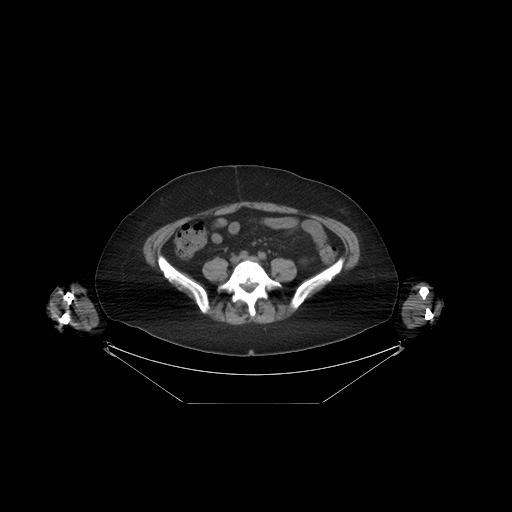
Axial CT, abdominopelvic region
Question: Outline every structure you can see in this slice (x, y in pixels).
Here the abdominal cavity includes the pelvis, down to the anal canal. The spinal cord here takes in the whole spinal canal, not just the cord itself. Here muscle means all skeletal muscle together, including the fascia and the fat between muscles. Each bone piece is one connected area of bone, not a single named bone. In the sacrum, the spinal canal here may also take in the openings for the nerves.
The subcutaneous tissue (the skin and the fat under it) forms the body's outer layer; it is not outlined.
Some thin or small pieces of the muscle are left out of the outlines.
Answer: The left arm is outlined by 418 274; 428 275; 435 281; 440 292; 443 296; 444 303; 446 306; 446 310; 444 315; 431 329; 425 331; 413 338; 408 338; 406 340; 404 340; 402 336; 397 332; 394 326; 394 321; 398 313; 397 302; 401 295; 401 284; 409 277. The abdominal cavity is outlined by 242 207; 319 222; 341 240; 343 253; 294 287; 286 285; 298 272; 290 258; 273 257; 270 275; 261 263; 249 258; 237 262; 228 274; 229 262; 216 255; 201 266; 202 275; 215 285; 209 288; 175 267; 162 248; 184 223; 233 213. The muscle appears in 5 outlined pieces: piece 1: 216 256; 224 258; 228 262; 226 273; 229 275; 216 289; 219 292; 225 291; 231 294; 230 299; 233 303; 237 301; 244 302; 247 306; 247 312; 251 317; 256 314; 255 304; 257 300; 267 299; 269 297; 269 291; 282 286; 279 281; 270 276; 272 274; 270 261; 276 257; 292 260; 296 266; 297 272; 295 277; 285 285; 293 288; 296 287; 289 301; 290 307; 296 310; 301 306; 291 316; 283 320; 265 324; 250 322; 233 325; 210 319; 200 313; 192 300; 170 283; 174 282; 187 289; 192 294; 199 310; 203 314; 206 314; 210 309; 207 290; 197 281; 182 272; 211 289; 216 285; 203 275; 202 266; 206 261; piece 2: 239 201; 263 201; 286 205; 308 213; 330 217; 342 222; 355 233; 358 239; 360 248; 360 257; 358 263; 353 268; 333 279; 341 272; 345 260; 342 256; 345 250; 344 244; 334 232; 321 222; 299 214; 266 211; 242 206; 233 212; 225 214; 197 217; 188 220; 177 227; 162 246; 162 254; 159 254; 156 259; 162 275; 146 262; 143 254; 143 245; 146 239; 152 233; 160 227; 190 214; piece 3: 70 284; 77 284; 83 287; 86 290; 86 295; 96 309; 99 322; 97 326; 90 330; 76 329; 70 325; 59 325; 59 323; 61 325; 69 323; 71 317; 67 311; 63 312; 57 320; 51 315; 50 303; 52 299; 60 289; 66 288, around a hole outlined by 66 292; 70 292; 72 294; 73 294; 73 295; 74 296; 74 297; 72 299; 72 300; 71 301; 71 302; 70 303; 70 304; 68 304; 67 303; 67 302; 63 298; 63 296; 65 294; 65 293; piece 4: 420 282; 425 282; 427 284; 430 285; 436 292; 442 304; 440 308; 439 314; 434 318; 432 321; 433 322; 432 324; 429 325; 422 325; 413 328; 408 328; 403 322; 402 319; 402 305; 404 301; 410 294; 410 291; 412 289; 412 287; inner edges: 421 286; 426 286; 427 287; 427 288; 429 290; 429 292; 427 294; 427 295; 426 296; 426 297; 425 298; 425 299; 423 299; 421 297; 421 296; 420 295; 420 294; 419 293; 419 289; 420 288; 420 287, then 426 308; 429 308; 431 310; 431 311; 432 312; 432 313; 433 314; 433 317; 431 319; 429 319; 428 320; 426 320; 425 319; 425 310; 426 309; piece 5: 326 283; 328 283; 325 286; 324 286; 320 290; 319 290; 317 292; 316 292; 312 296; 311 296; 309 298; 308 298; 304 302; 304 301; 306 299; 306 298; 316 288; 317 288; 319 286; 321 286; 322 285; 324 285. The torso is outlined by 225 164; 258 164; 286 169; 336 187; 351 197; 375 224; 397 271; 400 295; 390 317; 381 324; 339 342; 297 352; 246 357; 206 353; 178 346; 107 317; 97 301; 92 284; 94 283; 100 254; 121 219; 155 189; 172 178; 190 171. The spinal cord is outlined by 251 283; 254 283; 255 284; 256 284; 256 285; 254 287; 254 288; 251 291; 247 291; 246 290; 245 290; 242 287; 242 286; 241 285; 242 285; 243 284; 250 284. The right arm is outlined by 72 275; 80 276; 88 280; 93 288; 96 301; 102 313; 105 316; 105 320; 106 321; 105 329; 101 334; 95 337; 88 336; 85 338; 75 338; 67 336; 64 334; 60 334; 53 328; 52 324; 45 313; 44 304; 52 290; 62 280. The bones appear in 7 outlined pieces: piece 1: 245 259; 253 260; 261 264; 266 273; 281 284; 280 287; 269 290; 267 292; 267 298; 258 298; 256 300; 254 304; 255 314; 253 316; 249 314; 248 306; 244 301; 237 300; 233 302; 231 293; 217 289; 219 285; 229 278; 234 266 with a hole at 251 283; 254 283; 255 284; 256 284; 256 285; 254 287; 254 288; 251 291; 247 291; 246 290; 245 290; 242 287; 242 286; 241 285; 242 285; 243 284; 250 284; piece 2: 159 255; 164 256; 164 257; 175 268; 187 277; 197 282; 206 290; 208 296; 208 302; 209 303; 209 309; 206 313; 203 313; 200 310; 195 301; 193 294; 187 288; 176 283; 174 281; 169 282; 163 275; 163 272; 160 269; 157 261; piece 3: 340 257; 342 257; 344 260; 340 272; 336 274; 330 281; 316 287; 305 298; 303 302; 296 309; 294 309; 291 307; 290 305; 290 301; 293 295; 293 293; 295 291; 297 286; 304 280; 317 274; 322 270; 333 264; piece 4: 65 312; 67 312; 68 313; 68 314; 69 315; 69 316; 70 317; 70 319; 69 320; 69 321; 68 322; 68 323; 67 324; 61 324; 58 321; 58 318; 59 317; 60 317; 61 316; 61 315; 63 313; 64 313; piece 5: 421 286; 426 286; 427 287; 427 288; 429 290; 429 292; 427 294; 427 295; 426 296; 426 297; 425 298; 425 299; 423 299; 421 297; 421 296; 420 295; 420 294; 419 293; 419 289; 420 288; 420 287; piece 6: 66 292; 70 292; 72 294; 73 294; 73 295; 74 296; 74 297; 72 299; 72 300; 71 301; 71 302; 70 303; 70 304; 68 304; 67 303; 67 302; 63 298; 63 296; 65 294; 65 293; piece 7: 426 308; 429 308; 431 310; 431 311; 432 312; 432 313; 433 314; 433 317; 431 319; 429 319; 428 320; 426 320; 425 319; 425 310; 426 309.